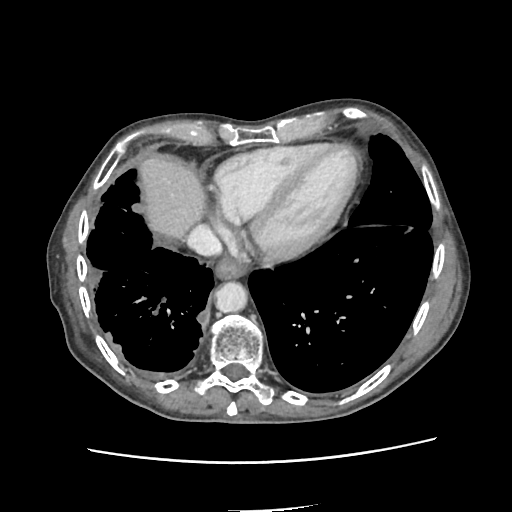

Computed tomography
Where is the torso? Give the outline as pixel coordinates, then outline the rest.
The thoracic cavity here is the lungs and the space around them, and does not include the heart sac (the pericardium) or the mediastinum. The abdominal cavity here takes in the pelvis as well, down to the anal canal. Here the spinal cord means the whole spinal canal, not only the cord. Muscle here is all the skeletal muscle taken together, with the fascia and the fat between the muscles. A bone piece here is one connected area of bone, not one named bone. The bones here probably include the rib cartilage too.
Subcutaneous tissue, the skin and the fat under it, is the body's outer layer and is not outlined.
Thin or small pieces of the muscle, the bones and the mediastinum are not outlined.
The torso is outlined by 235 424; 320 421; 367 407; 421 369; 447 343; 462 318; 470 290; 470 262; 437 166; 409 125; 378 103; 341 97; 253 120; 206 112; 167 113; 136 120; 106 141; 53 227; 46 248; 49 297; 76 361; 122 397; 162 417. The pericardium is outlined by 264 269; 272 269; 275 265; 291 262; 303 257; 327 241; 343 226; 348 208; 355 202; 365 181; 363 157; 351 142; 343 138; 328 136; 279 144; 250 144; 214 155; 198 169; 208 196; 208 215; 206 219; 224 241; 226 250; 240 263. The muscle appears in 2 outlined pieces: piece 1: 254 417; 324 415; 370 397; 428 352; 457 310; 462 271; 449 212; 430 165; 392 120; 366 107; 346 106; 369 115; 357 120; 344 118; 344 107; 326 109; 327 123; 332 129; 365 123; 388 134; 421 178; 420 165; 428 163; 441 204; 439 211; 432 211; 430 233; 434 247; 443 241; 446 252; 438 278; 428 278; 422 300; 430 301; 430 309; 418 333; 413 336; 410 327; 386 362; 393 367; 382 382; 343 405; 335 403; 356 388; 308 396; 303 406; 284 401; 280 395; 287 388; 264 358; 257 376; 275 388; 269 405; 248 390; 232 394; 221 386; 198 395; 195 384; 213 370; 208 352; 166 394; 151 387; 159 380; 140 376; 120 361; 127 373; 120 375; 94 342; 99 329; 91 306; 89 319; 82 311; 75 265; 78 252; 85 258; 85 245; 77 241; 79 215; 85 208; 89 219; 101 191; 94 191; 92 182; 107 154; 69 212; 61 240; 60 288; 78 347; 120 385; 164 409; 214 416; 226 414; 233 399; 237 416; piece 2: 116 167; 125 161; 126 159; 130 156; 134 156; 136 155; 137 151; 142 146; 148 145; 156 141; 167 140; 170 142; 190 143; 175 138; 171 138; 166 135; 149 133; 137 138; 135 140; 132 141; 128 145; 128 148; 126 153; 123 156. The spinal cord is outlined by 233 381; 235 381; 242 377; 245 377; 247 376; 248 374; 245 368; 242 365; 240 364; 236 364; 235 363; 233 364; 229 364; 227 365; 223 369; 223 373; 226 376; 227 376; 231 380. The abdominal cavity is outlined by 181 246; 189 230; 202 222; 207 215; 207 196; 205 187; 200 178; 197 167; 193 163; 183 158; 158 153; 156 148; 159 145; 171 143; 167 141; 156 142; 142 147; 137 154; 139 156; 140 180; 146 194; 148 219; 155 231; 169 237. The bones appear in 12 outlined pieces: piece 1: 94 190; 108 179; 127 145; 149 132; 195 145; 211 144; 218 137; 235 146; 291 141; 331 130; 332 126; 326 123; 327 114; 321 110; 301 117; 280 118; 255 129; 221 122; 214 131; 201 120; 156 129; 139 128; 114 144; 93 182; piece 2: 262 404; 269 404; 275 393; 272 386; 262 383; 256 376; 256 370; 262 363; 264 353; 263 333; 255 323; 238 314; 217 320; 210 328; 212 336; 209 357; 214 370; 198 381; 194 390; 202 395; 214 385; 224 386; 232 393; 248 389, around a hole outlined by 233 381; 235 381; 242 377; 245 377; 247 376; 248 374; 245 368; 242 365; 240 364; 236 364; 235 363; 233 364; 229 364; 227 365; 223 369; 223 373; 226 376; 227 376; 231 380; piece 3: 339 405; 343 404; 353 399; 355 399; 361 395; 368 392; 374 387; 375 387; 381 381; 382 381; 389 373; 392 367; 392 364; 390 363; 387 363; 385 364; 370 378; 361 384; 353 393; 338 401; 336 404; 338 404; piece 4: 87 318; 89 318; 90 316; 90 301; 89 300; 89 296; 87 290; 85 286; 82 284; 86 278; 87 265; 82 254; 78 253; 77 259; 76 260; 77 274; 80 282; 82 283; 79 286; 79 297; 80 298; 80 301; 81 302; 83 311; piece 5: 432 210; 433 209; 434 210; 439 210; 440 204; 439 203; 438 194; 437 193; 437 190; 434 183; 434 180; 433 179; 432 174; 428 167; 427 163; 425 161; 424 161; 421 165; 422 182; 427 192; 427 194; 428 195; 430 203; 432 206; piece 6: 124 376; 126 376; 126 373; 124 370; 123 366; 119 363; 119 361; 117 357; 109 348; 103 338; 98 333; 94 333; 94 339; 95 340; 95 342; 97 346; 99 348; 100 351; 106 359; 106 360; 115 370; 116 370; 120 374; piece 7: 434 279; 436 279; 437 278; 442 268; 442 266; 443 265; 443 261; 444 260; 444 253; 445 252; 445 247; 444 246; 444 244; 443 242; 440 242; 434 249; 434 255; 433 256; 433 261; 432 262; 431 273; 429 276; 430 278; 433 278; piece 8: 413 335; 415 335; 417 333; 417 332; 421 327; 421 326; 426 317; 427 312; 429 309; 429 301; 428 300; 424 300; 421 302; 421 303; 418 308; 418 310; 413 319; 413 321; 411 324; 411 328; 412 329; 412 333; 413 334; piece 9: 80 244; 85 244; 85 242; 86 241; 86 239; 87 238; 87 236; 89 232; 89 225; 88 224; 88 215; 85 209; 83 209; 82 210; 81 212; 81 214; 80 215; 80 218; 79 219; 79 225; 78 226; 78 241; piece 10: 297 405; 303 405; 305 404; 309 400; 309 398; 306 395; 302 393; 300 393; 299 392; 296 392; 290 389; 287 389; 285 390; 282 393; 281 395; 281 398; 282 398; 284 400; 290 403; 292 403; 293 404; 296 404; piece 11: 160 393; 166 393; 167 392; 169 392; 172 390; 174 390; 175 389; 176 389; 179 386; 179 383; 175 379; 165 379; 162 381; 157 381; 156 382; 155 382; 153 384; 152 384; 152 387; 153 387; 156 390; 156 391; 157 391; piece 12: 348 119; 357 119; 358 118; 365 118; 366 117; 367 117; 368 116; 368 115; 365 112; 364 112; 363 111; 362 111; 360 109; 359 109; 356 107; 345 107; 344 108; 343 108; 341 110; 341 114; 344 117; 345 117. The thoracic cavity appears in 2 outlined pieces: piece 1: 307 395; 348 391; 379 369; 409 328; 430 273; 434 248; 429 233; 431 206; 421 179; 400 146; 380 132; 369 142; 369 154; 374 162; 371 184; 346 226; 303 258; 277 266; 273 271; 255 270; 248 279; 265 328; 264 357; 288 388; piece 2: 160 380; 178 378; 189 372; 207 353; 211 334; 205 337; 201 335; 195 317; 205 306; 213 280; 209 268; 200 265; 180 245; 152 229; 139 180; 138 156; 135 156; 114 170; 92 210; 86 242; 88 292; 100 334; 118 358; 138 374. The mediastinum appears in 3 outlined pieces: piece 1: 203 336; 210 333; 209 328; 214 321; 232 313; 251 319; 264 333; 261 318; 247 284; 249 274; 257 269; 234 260; 225 250; 217 232; 206 220; 190 230; 183 244; 183 247; 200 264; 209 267; 213 272; 214 284; 206 306; 196 317; piece 2: 341 229; 345 226; 350 214; 359 203; 370 184; 373 162; 368 154; 368 142; 369 138; 379 131; 365 124; 354 124; 345 128; 338 128; 316 134; 311 137; 333 135; 346 138; 361 151; 365 160; 365 184; 356 202; 349 208; 344 226; piece 3: 198 168; 200 167; 201 164; 206 159; 214 154; 222 152; 230 148; 239 147; 249 144; 236 146; 235 147; 232 147; 227 144; 195 146; 192 144; 172 143; 171 144; 161 145; 157 148; 158 152; 163 154; 179 156; 186 158; 193 162.